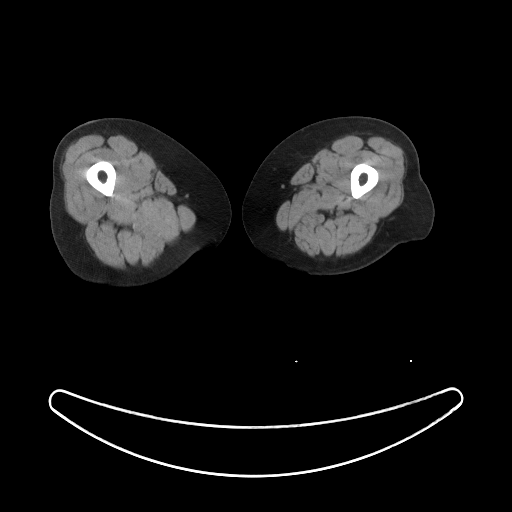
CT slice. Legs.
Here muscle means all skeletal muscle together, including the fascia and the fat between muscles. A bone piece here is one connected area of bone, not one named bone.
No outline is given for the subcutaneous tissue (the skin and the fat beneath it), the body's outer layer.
The right leg is outlined by 102 117; 126 117; 140 120; 173 137; 215 173; 230 201; 231 221; 221 242; 212 250; 196 253; 167 277; 147 285; 117 288; 91 283; 81 279; 68 268; 52 236; 49 199; 52 189; 52 159; 55 148; 61 138; 75 126; 88 120. The left leg is outlined by 347 115; 380 118; 394 124; 406 133; 416 148; 420 174; 430 191; 434 203; 434 221; 427 237; 422 240; 399 244; 383 257; 362 269; 331 276; 311 275; 273 261; 253 246; 242 223; 242 202; 258 166; 280 141; 294 131; 315 121. The bones appear in 2 outlined pieces: piece 1: 99 160; 106 160; 107 161; 111 162; 116 171; 116 179; 115 180; 115 185; 114 186; 114 189; 113 190; 113 196; 106 196; 96 189; 95 189; 87 181; 87 180; 84 176; 84 170; 86 168; 89 167; 92 164; 95 163; piece 2: 362 162; 365 162; 369 164; 371 166; 374 167; 377 170; 378 172; 378 181; 375 186; 372 189; 365 193; 361 197; 357 198; 356 199; 355 198; 353 198; 351 195; 351 190; 350 189; 350 172; 353 167; 356 164; 358 163; 361 163. The muscle appears in 2 outlined pieces: piece 1: 103 132; 123 133; 147 150; 173 178; 198 212; 198 218; 192 232; 184 239; 167 249; 154 265; 147 269; 119 271; 102 264; 84 242; 80 232; 79 224; 68 214; 65 209; 63 199; 64 182; 60 170; 61 156; 73 140; 87 134 with a hole at 99 160; 106 160; 107 161; 111 162; 116 171; 116 179; 115 180; 115 185; 114 186; 114 189; 113 190; 113 196; 106 196; 96 189; 95 189; 87 181; 87 180; 84 176; 84 170; 86 168; 89 167; 92 164; 95 163; piece 2: 364 132; 384 137; 403 148; 406 154; 407 168; 406 178; 403 183; 404 199; 397 208; 383 219; 371 241; 359 252; 333 261; 318 261; 312 259; 302 253; 293 241; 275 225; 274 208; 279 195; 289 174; 315 150; 335 138; inner edge: 362 162; 365 162; 369 164; 371 166; 374 167; 377 170; 378 172; 378 181; 375 186; 372 189; 365 193; 361 197; 357 198; 356 199; 355 198; 353 198; 351 195; 351 190; 350 189; 350 172; 353 167; 356 164; 358 163; 361 163.